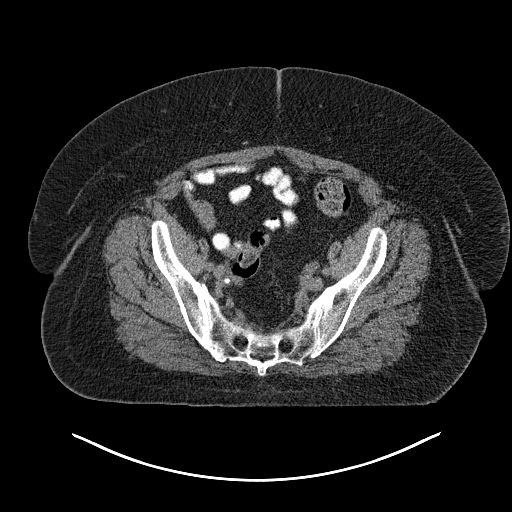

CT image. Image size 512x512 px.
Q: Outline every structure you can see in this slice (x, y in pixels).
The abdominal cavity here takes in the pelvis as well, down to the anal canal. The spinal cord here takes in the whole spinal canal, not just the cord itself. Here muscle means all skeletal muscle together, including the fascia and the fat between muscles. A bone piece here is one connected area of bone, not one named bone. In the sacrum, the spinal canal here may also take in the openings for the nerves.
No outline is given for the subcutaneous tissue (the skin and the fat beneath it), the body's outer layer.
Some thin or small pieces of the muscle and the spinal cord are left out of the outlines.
A: The muscle is outlined by (269, 144) (351, 164) (381, 184) (387, 198) (411, 206) (426, 217) (433, 253) (419, 322) (410, 328) (407, 351) (395, 363) (374, 373) (266, 375) (269, 367) (280, 363) (302, 366) (306, 358) (316, 358) (341, 335) (362, 291) (384, 265) (388, 249) (386, 230) (379, 225) (371, 227) (357, 263) (334, 281) (328, 266) (331, 245) (351, 236) (374, 208) (365, 202) (356, 181) (302, 166) (275, 151) (265, 157) (192, 170) (167, 201) (167, 211) (183, 228) (194, 239) (207, 241) (199, 279) (179, 259) (168, 224) (159, 218) (150, 223) (153, 260) (173, 292) (188, 332) (216, 361) (244, 362) (255, 367) (259, 376) (169, 371) (130, 356) (116, 339) (101, 256) (104, 239) (117, 218) (136, 198) (156, 188) (166, 174) (190, 160). The abdominal cavity is outlined by (275, 152) (302, 167) (356, 182) (364, 202) (373, 209) (351, 235) (330, 245) (327, 266) (335, 282) (309, 303) (301, 323) (263, 331) (230, 320) (223, 313) (206, 284) (198, 280) (206, 265) (208, 241) (194, 238) (167, 205) (180, 190) (181, 180) (192, 171) (265, 158). The bones are outlined by (156, 219) (167, 224) (178, 259) (205, 284) (222, 313) (263, 332) (301, 324) (310, 303) (358, 263) (371, 228) (385, 230) (386, 256) (358, 296) (340, 335) (325, 350) (306, 357) (302, 365) (269, 366) (260, 376) (244, 361) (216, 360) (189, 332) (153, 257) (151, 223) with holes at (285, 339) (288, 339) (291, 342) (291, 343) (292, 344) (292, 348) (288, 352) (285, 352) (282, 349) (282, 342) and at (239, 336) (242, 336) (245, 339) (245, 341) (246, 342) (246, 345) (243, 348) (239, 348) (236, 345) (236, 344) (235, 343) (235, 340) and at (255, 354) (264, 354) (265, 355) (271, 355) (272, 356) (272, 357) (271, 358) (269, 358) (268, 359) (265, 359) (264, 360) (260, 360) (259, 359) (258, 359) (257, 358) (254, 358) (252, 356) (252, 355) (254, 355). The spinal cord appears in 2 outlined pieces: piece 1: (285, 339) (288, 339) (291, 342) (291, 343) (292, 344) (292, 348) (288, 352) (285, 352) (282, 349) (282, 342); piece 2: (239, 336) (242, 336) (245, 339) (245, 341) (246, 342) (246, 345) (243, 348) (239, 348) (236, 345) (236, 344) (235, 343) (235, 340). The torso is outlined by (248, 65) (318, 68) (393, 88) (443, 118) (494, 171) (507, 208) (507, 260) (498, 283) (480, 294) (485, 333) (438, 401) (329, 407) (121, 403) (80, 396) (51, 370) (41, 311) (52, 278) (33, 267) (28, 253) (29, 222) (51, 161) (78, 130) (123, 99) (186, 75).